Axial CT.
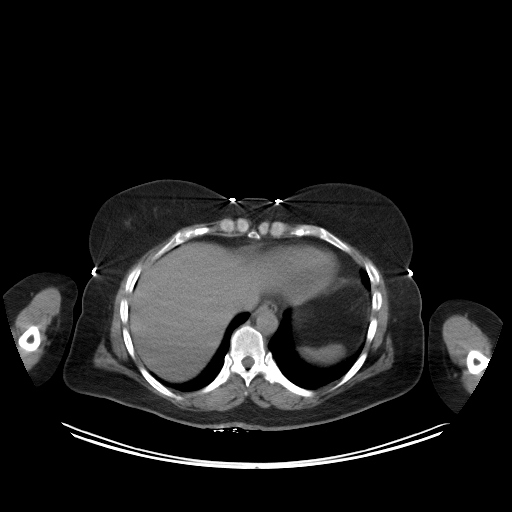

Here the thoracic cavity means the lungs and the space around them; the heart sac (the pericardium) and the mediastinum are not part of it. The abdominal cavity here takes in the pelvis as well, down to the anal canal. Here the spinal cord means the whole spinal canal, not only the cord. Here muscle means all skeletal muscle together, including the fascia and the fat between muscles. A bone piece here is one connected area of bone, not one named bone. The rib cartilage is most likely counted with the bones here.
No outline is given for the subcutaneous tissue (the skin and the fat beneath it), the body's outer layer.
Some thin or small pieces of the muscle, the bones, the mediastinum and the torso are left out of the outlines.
Outlines:
torso: 162 178; 199 183; 230 202; 244 197; 281 202; 299 188; 323 182; 367 186; 393 200; 411 230; 407 273; 422 300; 424 364; 416 385; 337 420; 275 431; 190 426; 69 389; 63 361; 84 287; 96 271; 88 249; 94 215; 112 195
muscle 1: 171 235; 151 257; 152 261; 143 271; 142 265; 137 263; 128 273; 124 292; 129 294; 129 298; 123 297; 118 308; 122 324; 127 324; 127 327; 123 326; 121 329; 126 350; 133 360; 137 356; 142 364; 138 367; 139 372; 161 394; 177 401; 181 401; 183 397; 171 390; 179 392; 198 390; 199 394; 206 394; 224 384; 232 374; 239 375; 245 386; 248 387; 251 381; 260 373; 270 384; 277 383; 293 394; 305 398; 313 397; 315 395; 314 390; 338 380; 330 390; 340 387; 364 364; 368 356; 368 352; 363 350; 364 344; 365 342; 369 344; 372 341; 377 330; 378 320; 372 316; 372 311; 377 312; 381 308; 383 299; 382 293; 374 288; 380 282; 380 275; 376 266; 382 274; 388 295; 389 315; 387 325; 390 328; 394 354; 391 367; 359 381; 309 408; 281 411; 259 407; 253 403; 245 403; 223 411; 192 411; 182 409; 156 395; 125 374; 94 366; 92 360; 99 343; 102 339; 107 340; 109 337; 115 295; 127 270; 149 249
muscle 2: 456 312; 467 313; 496 345; 496 347; 493 349; 490 358; 488 358; 485 354; 476 348; 471 348; 467 352; 465 357; 465 365; 467 371; 472 375; 483 372; 473 392; 470 395; 454 384; 448 378; 443 368; 441 360; 442 325; 449 315
muscle 3: 49 286; 53 286; 57 288; 61 295; 60 315; 58 321; 57 331; 54 339; 48 349; 40 357; 39 360; 30 370; 27 371; 24 367; 20 355; 18 354; 15 338; 11 332; 10 324; 17 316; 19 312; 30 302; 33 296; 36 293; inner edge: 30 325; 37 325; 38 326; 38 329; 39 330; 39 333; 40 334; 40 343; 39 344; 38 347; 35 350; 34 350; 33 351; 26 351; 25 350; 22 349; 19 346; 19 344; 18 343; 18 338; 21 335; 21 334
muscle 4: 224 217; 231 217; 233 219; 236 219; 235 220; 234 220; 233 219; 231 219; 230 218; 223 218; 222 219; 221 219; 218 223; 218 229; 220 231; 221 231; 224 233; 228 233; 229 234; 230 233; 232 233; 233 232; 238 232; 240 234; 244 234; 237 234; 236 235; 224 235; 223 234; 209 234; 211 232; 211 231; 212 230; 212 228; 210 226; 208 226; 207 225; 203 225; 202 226; 196 226; 195 227; 193 227; 192 228; 185 228; 184 229; 179 229; 180 229; 183 227; 185 227; 186 226; 188 226; 189 225; 192 225; 193 224; 196 224; 197 223; 205 223; 206 222; 211 222; 212 221; 216 221; 217 220; 219 220
muscle 5: 345 242; 355 247; 364 255; 368 257; 373 262; 373 263; 369 260; 365 260; 363 262; 363 266; 362 266; 359 263; 358 263; 358 262; 356 261; 356 260; 354 259; 354 258; 352 257; 351 255; 350 255; 350 254; 352 252; 352 249
muscle 6: 239 217; 245 217; 246 218; 248 218; 249 219; 250 219; 255 224; 258 224; 259 223; 260 223; 255 228; 251 228; 250 227; 250 225; 249 224; 249 223; 247 221; 247 220; 246 219; 245 219; 244 218; 243 218; 242 217
thoracic cavity 1: 286 310; 289 310; 290 313; 289 331; 293 348; 297 355; 304 362; 315 368; 327 369; 341 364; 351 357; 363 345; 362 350; 355 361; 339 379; 321 387; 309 389; 297 385; 284 375; 267 346; 278 329; 283 314
thoracic cavity 2: 242 312; 247 312; 249 316; 232 332; 229 339; 229 348; 224 355; 222 366; 214 378; 206 385; 193 391; 174 390; 164 385; 151 373; 172 384; 182 384; 188 382; 201 374; 212 361; 220 347; 220 344; 222 343; 224 334; 230 322
thoracic cavity 3: 364 269; 364 270; 366 272; 366 273; 367 274; 367 275; 368 276; 368 277; 369 278; 369 280; 370 281; 370 284; 371 285; 371 289; 367 289; 364 286; 364 285; 362 283; 362 280; 361 279; 361 274; 362 273; 362 271
mediastinum: 208 234; 245 234; 256 240; 312 236; 348 254; 363 267; 361 282; 345 280; 343 258; 334 248; 318 239; 290 238; 256 242; 273 270; 276 297; 285 306; 299 308; 290 316; 289 309; 283 312; 266 347; 263 335; 244 323; 248 311; 269 297; 263 274; 239 243
right arm: 48 270; 62 272; 70 276; 77 285; 77 298; 73 308; 72 324; 73 329; 70 334; 68 342; 65 346; 62 361; 53 375; 46 382; 37 386; 25 369; 20 355; 18 354; 15 338; 10 329; 3 295; 7 289; 23 277; 34 272
bones 1: 244 324; 253 327; 262 335; 265 347; 270 351; 283 375; 297 386; 313 390; 313 396; 301 396; 277 382; 270 383; 260 372; 248 386; 239 374; 232 373; 224 383; 214 389; 206 393; 198 392; 220 371; 225 355; 230 348; 233 332 with a hole at 247 356; 249 356; 250 357; 251 357; 253 359; 253 363; 248 368; 247 368; 246 367; 245 367; 243 365; 243 364; 242 363; 242 360; 245 357; 246 357
bones 2: 239 218; 246 220; 251 229; 255 229; 262 222; 274 221; 283 222; 289 230; 301 224; 320 226; 344 242; 351 252; 349 254; 315 236; 296 236; 288 231; 279 237; 267 234; 259 239; 238 231; 224 232; 219 229; 221 220; 235 221
bones 3: 203 226; 207 226; 211 228; 211 230; 209 233; 191 237; 185 241; 181 243; 179 243; 177 245; 172 247; 163 253; 159 257; 156 258; 154 260; 152 260; 152 257; 177 231; 179 230; 184 230; 185 229; 192 229; 196 227; 202 227
bones 4: 365 261; 369 261; 371 262; 375 266; 379 275; 379 282; 378 284; 375 285; 373 288; 374 289; 377 289; 381 293; 381 298; 382 299; 381 306; 377 311; 373 311; 372 310; 372 285; 371 284; 370 278; 364 268; 364 262
bones 5: 30 325; 37 325; 38 326; 38 329; 39 330; 39 333; 40 334; 40 343; 39 344; 38 347; 35 350; 34 350; 33 351; 26 351; 25 350; 22 349; 19 346; 19 344; 18 343; 18 338; 21 335; 21 334
bones 6: 471 349; 476 349; 480 351; 484 355; 485 355; 488 359; 489 359; 489 361; 485 369; 483 371; 481 372; 479 372; 478 373; 476 373; 475 374; 472 374; 470 373; 468 371; 468 369; 466 365; 466 357; 467 356; 467 354; 468 352
bones 7: 140 366; 143 366; 160 383; 161 383; 164 386; 168 388; 171 391; 172 391; 177 395; 181 396; 182 397; 182 399; 181 400; 177 400; 172 397; 167 396; 158 391; 154 387; 153 387; 142 375; 142 374; 139 370; 139 367
bones 8: 362 351; 366 351; 367 352; 367 356; 363 364; 361 366; 361 367; 347 381; 346 381; 340 386; 331 390; 331 388; 337 382; 339 381; 339 380; 348 371; 348 370; 356 361; 356 360; 358 358; 358 357; 360 355
bones 9: 137 264; 140 264; 141 265; 141 271; 140 272; 140 273; 139 274; 139 275; 134 284; 133 289; 131 291; 131 292; 130 293; 126 293; 125 292; 125 285; 126 284; 126 281; 127 280; 127 277; 128 276; 129 273; 132 270; 132 269
bones 10: 123 327; 126 327; 129 332; 129 334; 131 338; 131 341; 133 345; 133 349; 135 353; 135 358; 134 359; 133 359; 130 356; 127 350; 127 348; 125 345; 125 343; 124 342; 124 339; 123 338; 123 333; 122 332; 122 329
bones 11: 372 317; 374 317; 375 318; 376 318; 376 319; 377 320; 377 326; 376 327; 376 330; 375 331; 375 333; 374 334; 371 341; 369 343; 368 343; 367 342; 366 342; 366 334; 367 333; 367 330; 368 329; 368 326; 369 325; 370 320
bones 12: 123 298; 126 298; 127 299; 127 304; 128 305; 128 309; 127 310; 127 323; 126 324; 123 324; 123 323; 122 322; 122 321; 121 320; 121 318; 120 317; 120 313; 119 312; 119 308; 120 307; 120 302; 121 301; 121 300
pericardium: 290 239; 318 240; 328 245; 334 249; 342 258; 345 268; 344 280; 337 287; 325 295; 316 297; 308 301; 301 307; 285 305; 284 302; 277 297; 274 270; 272 269; 270 262; 258 251; 258 248; 255 246; 256 243; 262 241; 280 241
spinal cord: 247 356; 249 356; 250 357; 251 357; 253 359; 253 363; 248 368; 247 368; 246 367; 245 367; 243 365; 243 364; 242 363; 242 360; 245 357; 246 357
abdominal cavity 1: 203 235; 239 244; 247 252; 262 274; 268 297; 260 299; 251 309; 238 313; 229 322; 219 347; 211 361; 201 373; 188 381; 172 383; 162 379; 151 371; 150 372; 136 354; 128 329; 128 300; 140 274; 153 261; 179 244; 191 238
abdominal cavity 2: 344 281; 351 283; 361 283; 367 290; 371 290; 371 317; 367 326; 365 334; 365 341; 345 361; 327 368; 315 367; 304 361; 296 352; 294 348; 294 344; 292 342; 292 336; 290 331; 290 317; 296 310; 303 307; 312 300; 329 294
left arm: 454 297; 461 297; 479 302; 494 311; 502 321; 495 343; 496 347; 493 349; 492 355; 489 359; 487 366; 479 378; 473 392; 467 398; 459 410; 455 413; 442 401; 432 384; 429 373; 427 353; 428 328; 430 316; 439 304; 447 299